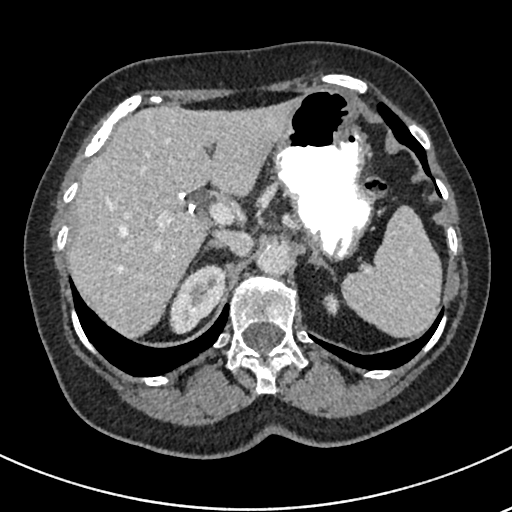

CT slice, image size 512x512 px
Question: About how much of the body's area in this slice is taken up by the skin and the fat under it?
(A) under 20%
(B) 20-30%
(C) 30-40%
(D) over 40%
Answer: (B) 20-30%
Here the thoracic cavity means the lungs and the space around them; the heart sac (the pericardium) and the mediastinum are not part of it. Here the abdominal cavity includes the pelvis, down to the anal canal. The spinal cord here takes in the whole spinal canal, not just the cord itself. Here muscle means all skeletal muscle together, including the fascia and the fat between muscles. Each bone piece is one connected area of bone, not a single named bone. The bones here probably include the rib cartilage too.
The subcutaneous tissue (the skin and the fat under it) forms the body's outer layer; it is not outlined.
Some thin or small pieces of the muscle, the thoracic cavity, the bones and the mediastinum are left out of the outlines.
The mediastinum appears in 2 outlined pieces: piece 1: (272, 243) (280, 243) (283, 244) (287, 247) (288, 249) (288, 253) (289, 254) (289, 271) (288, 272) (288, 275) (292, 288) (282, 279) (276, 278) (272, 276) (264, 275) (263, 274) (249, 274) (239, 282) (239, 280) (242, 275) (248, 268) (249, 263) (260, 253) (264, 247); piece 2: (357, 92) (359, 94) (364, 94) (365, 93) (366, 94) (369, 94) (370, 95) (371, 95) (372, 96) (377, 98) (380, 101) (381, 101) (378, 102) (376, 105) (376, 108) (377, 109) (377, 111) (378, 112) (377, 112) (375, 110) (374, 110) (365, 101) (364, 101) (358, 95). The spinal cord is outlined by (265, 322) (267, 323) (272, 323) (280, 328) (283, 332) (283, 337) (281, 339) (279, 343) (275, 345) (266, 354) (266, 357) (264, 358) (262, 357) (261, 354) (258, 351) (255, 350) (253, 348) (250, 347) (246, 344) (243, 338) (243, 333) (251, 324) (253, 323) (264, 323). The bones appear in 9 outlined pieces: piece 1: (249, 275) (279, 279) (295, 290) (293, 330) (305, 330) (315, 343) (296, 342) (308, 364) (301, 370) (293, 364) (283, 367) (276, 375) (273, 394) (257, 393) (256, 376) (248, 368) (240, 366) (231, 372) (225, 366) (229, 342) (210, 348) (230, 324) (229, 301) (235, 287); inner edge: (265, 322) (267, 323) (272, 323) (280, 328) (283, 332) (283, 337) (281, 339) (279, 343) (275, 345) (266, 354) (266, 357) (264, 358) (262, 357) (261, 354) (258, 351) (255, 350) (253, 348) (250, 347) (246, 344) (243, 338) (243, 333) (251, 324) (253, 323) (264, 323); piece 2: (135, 93) (141, 93) (142, 95) (142, 101) (140, 104) (135, 109) (119, 119) (114, 124) (108, 137) (105, 140) (101, 147) (95, 153) (88, 157) (85, 157) (84, 156) (85, 148) (93, 135) (102, 125) (103, 121) (108, 117) (108, 116) (113, 111) (115, 107) (120, 102); piece 3: (330, 73) (347, 74) (348, 75) (353, 76) (356, 78) (358, 78) (366, 83) (367, 85) (367, 90) (364, 93) (359, 93) (355, 90) (350, 89) (347, 87) (345, 87) (341, 85) (338, 85) (333, 83) (322, 82) (320, 80) (321, 76) (325, 74) (329, 74); piece 4: (73, 304) (75, 311) (77, 314) (79, 322) (81, 325) (81, 327) (84, 333) (86, 335) (88, 340) (98, 352) (97, 354) (93, 354) (90, 351) (89, 351) (80, 341) (78, 336) (75, 332) (75, 330) (72, 324) (72, 320) (71, 319) (71, 315) (70, 314) (70, 310); piece 5: (444, 313) (446, 314) (446, 316) (447, 318) (446, 319) (445, 326) (443, 329) (443, 331) (439, 339) (437, 341) (437, 342) (427, 352) (425, 353) (423, 353) (421, 351) (422, 348) (429, 340) (429, 339) (435, 331); piece 6: (412, 123) (415, 123) (417, 125) (418, 125) (421, 128) (422, 128) (426, 133) (426, 134) (429, 138) (429, 140) (430, 141) (430, 148) (429, 149) (426, 150) (422, 146) (422, 145) (412, 135) (412, 134) (408, 129) (408, 128) (407, 127) (407, 125) (408, 124) (411, 124); piece 7: (159, 375) (164, 375) (165, 376) (166, 376) (169, 379) (169, 382) (168, 383) (167, 383) (164, 385) (159, 385) (158, 386) (154, 386) (153, 385) (147, 385) (143, 381) (142, 381) (141, 380) (140, 380) (138, 378) (138, 377) (141, 377) (142, 376) (158, 376); piece 8: (376, 369) (393, 369) (394, 370) (392, 373) (391, 373) (389, 375) (388, 375) (386, 377) (384, 377) (383, 378) (381, 378) (380, 379) (373, 379) (372, 378) (370, 378) (369, 377) (364, 377) (362, 375) (362, 373) (363, 373) (364, 372) (365, 372) (367, 370) (375, 370); piece 9: (73, 182) (77, 182) (78, 183) (78, 185) (77, 186) (77, 189) (76, 190) (76, 192) (75, 193) (75, 195) (73, 197) (73, 198) (71, 200) (71, 201) (70, 201) (68, 203) (65, 203) (63, 201) (63, 195) (64, 194) (64, 192) (65, 191) (65, 190). The torso is outlined by (300, 40) (337, 41) (379, 52) (411, 72) (434, 100) (474, 182) (491, 249) (489, 295) (467, 364) (432, 406) (346, 445) (316, 446) (271, 433) (243, 451) (200, 459) (111, 437) (84, 421) (66, 399) (40, 339) (25, 279) (25, 223) (62, 131) (88, 90) (126, 64). The abdominal cavity is outlined by (324, 83) (352, 90) (380, 114) (441, 198) (448, 248) (443, 307) (425, 333) (373, 354) (308, 333) (297, 323) (289, 249) (280, 242) (267, 244) (248, 263) (215, 321) (190, 341) (146, 346) (102, 321) (68, 276) (66, 243) (78, 182) (115, 124) (151, 103) (304, 92). The muscle appears in 2 outlined pieces: piece 1: (359, 77) (372, 82) (424, 126) (453, 190) (468, 285) (466, 305) (450, 343) (395, 397) (351, 417) (318, 417) (271, 395) (263, 395) (214, 426) (184, 427) (149, 417) (121, 401) (105, 381) (72, 353) (66, 342) (58, 274) (49, 236) (54, 201) (71, 160) (91, 127) (116, 104) (84, 148) (83, 156) (91, 156) (91, 159) (81, 177) (63, 192) (62, 201) (71, 203) (69, 219) (67, 224) (61, 225) (55, 239) (58, 252) (65, 247) (73, 300) (69, 310) (71, 324) (79, 341) (93, 355) (99, 353) (147, 386) (158, 387) (170, 382) (166, 374) (206, 349) (220, 349) (229, 343) (224, 366) (231, 373) (240, 367) (248, 369) (255, 376) (256, 393) (273, 395) (278, 391) (276, 378) (283, 368) (293, 365) (301, 371) (309, 364) (297, 342) (317, 344) (366, 370) (361, 375) (373, 380) (386, 378) (418, 352) (425, 354) (438, 342) (448, 318) (443, 308) (448, 250) (453, 256) (458, 252) (457, 232) (451, 224) (446, 228) (442, 211) (442, 199) (446, 201) (449, 192) (430, 169) (426, 151) (431, 148) (431, 141) (425, 130) (415, 122) (406, 125) (385, 103) (366, 93) (368, 85); piece 2: (319, 70) (337, 72) (321, 75) (319, 80) (323, 83) (322, 85) (304, 91) (244, 91) (186, 103) (163, 102) (163, 98) (160, 95) (153, 94) (147, 98) (150, 103) (141, 106) (143, 101) (141, 92) (140, 92) (135, 92) (129, 95) (133, 92) (145, 88) (186, 89) (259, 86) (291, 79). The thoracic cavity appears in 3 outlined pieces: piece 1: (69, 278) (73, 282) (81, 299) (102, 322) (124, 338) (142, 346) (151, 348) (169, 348) (194, 340) (213, 325) (220, 315) (225, 304) (227, 303) (228, 320) (223, 330) (212, 344) (183, 365) (165, 374) (134, 376) (111, 363) (96, 349) (89, 340) (82, 327) (74, 305); piece 2: (442, 309) (443, 309) (443, 313) (437, 326) (421, 349) (408, 361) (394, 368) (365, 369) (358, 367) (345, 361) (321, 345) (316, 343) (310, 336) (310, 335) (314, 336) (324, 342) (343, 348) (355, 354) (360, 355) (379, 354) (394, 350) (419, 339) (431, 327); piece 3: (380, 102) (385, 104) (401, 120) (406, 126) (411, 135) (425, 150) (427, 162) (431, 174) (434, 178) (434, 182) (432, 177) (428, 175) (422, 167) (422, 164) (414, 151) (408, 147) (407, 145) (402, 143) (396, 137) (390, 126) (382, 117) (377, 108) (377, 105).